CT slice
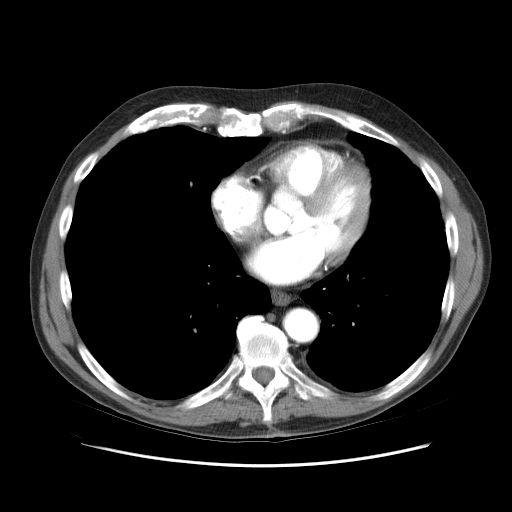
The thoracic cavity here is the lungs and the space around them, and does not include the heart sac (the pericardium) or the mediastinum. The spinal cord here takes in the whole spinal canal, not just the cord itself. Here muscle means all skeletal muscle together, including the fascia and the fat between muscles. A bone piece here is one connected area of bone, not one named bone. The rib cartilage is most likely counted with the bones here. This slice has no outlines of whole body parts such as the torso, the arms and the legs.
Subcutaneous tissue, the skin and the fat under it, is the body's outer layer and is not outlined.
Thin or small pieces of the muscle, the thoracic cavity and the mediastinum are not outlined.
{"pericardium":[[[299,137],[337,139],[344,141],[359,150],[370,171],[371,202],[367,225],[362,235],[352,247],[345,261],[339,267],[309,286],[288,289],[267,284],[244,270],[236,250],[224,232],[216,224],[211,208],[211,194],[222,178],[231,174],[271,146],[281,140]]],"mediastinum":[[[265,284],[288,290],[309,287],[304,289],[301,292],[300,296],[321,318],[319,332],[317,336],[312,342],[305,356],[296,366],[292,358],[292,354],[288,349],[290,344],[286,335],[279,327],[266,321],[263,316],[263,314],[268,312],[272,307],[270,292]],[[320,120],[330,120],[349,130],[350,131],[347,135],[347,140],[351,144],[337,138],[326,138],[317,136],[290,137],[279,140],[255,156],[268,142],[268,139],[266,137],[259,136],[261,136],[265,132],[279,133],[284,130],[290,129],[298,122],[315,122]]],"bones":[{"outer":[[250,314],[262,315],[266,322],[279,328],[287,339],[295,366],[336,394],[304,400],[289,388],[283,389],[272,402],[269,422],[262,420],[263,409],[255,396],[235,385],[234,399],[220,396],[196,407],[177,407],[226,370],[238,351],[237,325]],"hole":[[263,366],[264,367],[268,367],[269,368],[270,368],[271,369],[272,369],[272,370],[273,371],[273,376],[272,377],[272,378],[266,384],[262,384],[261,383],[260,383],[258,381],[257,381],[253,377],[253,371],[256,368],[258,368],[259,367],[262,367]]},[[288,102],[352,114],[391,135],[399,143],[398,147],[317,115],[308,115],[279,132],[265,131],[258,136],[221,136],[213,125],[197,127],[189,123],[161,126],[125,138],[122,135],[127,125],[138,116],[166,104],[206,103],[215,110],[227,106],[247,114]],[[427,348],[431,350],[431,355],[428,362],[423,368],[423,369],[407,385],[406,385],[402,389],[388,398],[386,398],[385,399],[379,399],[378,400],[372,400],[369,398],[370,396],[379,391],[386,384],[393,380],[396,377],[401,374],[406,369],[407,369]],[[80,342],[83,343],[85,345],[87,349],[97,361],[97,362],[118,383],[119,383],[124,388],[124,389],[137,401],[137,402],[130,401],[118,395],[109,388],[108,388],[91,372],[91,371],[87,367],[83,361],[81,356],[78,352],[77,345],[78,343]],[[449,211],[452,212],[455,217],[455,220],[457,225],[457,234],[458,235],[458,247],[457,248],[457,252],[456,254],[453,256],[450,255],[450,253],[448,249],[448,246],[447,245],[447,237],[445,232],[445,224],[444,223],[445,216],[447,212]],[[449,275],[452,276],[454,281],[454,297],[453,298],[453,303],[451,307],[451,311],[450,312],[449,317],[448,319],[445,321],[442,319],[441,317],[441,306],[442,305],[442,301],[443,300],[443,296],[444,295],[444,291],[445,290],[446,283]],[[420,157],[421,158],[423,158],[430,165],[430,166],[436,173],[440,181],[440,183],[441,184],[441,188],[442,189],[442,195],[440,197],[438,197],[438,196],[434,191],[433,188],[430,185],[430,184],[426,179],[421,169],[419,167],[419,158]],[[94,151],[96,151],[98,153],[98,160],[93,166],[93,167],[90,170],[90,171],[86,175],[86,176],[79,183],[75,183],[74,182],[74,176],[75,175],[75,173],[76,172],[78,167],[83,161],[83,160],[90,153],[91,153]],[[62,270],[66,270],[67,272],[67,274],[68,275],[69,282],[70,283],[70,287],[71,288],[71,308],[70,310],[68,310],[66,308],[66,307],[63,303],[63,301],[61,297],[61,293],[60,292],[60,288],[59,287],[59,277],[60,276],[60,273]],[[68,204],[70,204],[73,206],[73,213],[72,214],[71,223],[70,224],[69,229],[67,232],[67,235],[66,236],[66,238],[64,241],[61,239],[60,235],[59,234],[59,219],[60,218],[60,216],[61,215],[61,213],[63,209],[65,207],[65,206]]],"spinal_cord":[[[263,366],[264,367],[268,367],[269,368],[270,368],[271,369],[272,369],[272,370],[273,371],[273,376],[272,377],[272,378],[266,384],[262,384],[261,383],[260,383],[258,381],[257,381],[253,377],[253,371],[256,368],[258,368],[259,367],[262,367]]],"thoracic_cavity":[[[178,124],[217,137],[267,139],[254,156],[221,178],[210,194],[210,208],[216,227],[226,236],[244,272],[267,287],[271,307],[238,321],[237,351],[215,380],[186,397],[155,399],[124,387],[84,343],[72,313],[65,241],[80,183],[97,162],[130,136]],[[351,131],[398,148],[420,169],[437,196],[449,253],[440,318],[429,344],[393,379],[383,386],[362,391],[346,391],[328,382],[321,383],[297,366],[318,336],[322,322],[320,315],[301,294],[346,261],[363,235],[370,217],[371,171],[362,152],[348,140]]],"muscle":[[[347,112],[370,120],[431,157],[452,180],[475,221],[481,241],[483,275],[479,291],[441,355],[420,380],[384,404],[355,415],[301,416],[269,426],[241,426],[235,422],[179,425],[130,410],[92,387],[54,353],[39,319],[41,265],[63,185],[71,171],[87,155],[73,176],[73,182],[79,184],[74,205],[66,204],[58,219],[66,268],[59,273],[58,287],[62,303],[68,311],[71,309],[83,342],[76,345],[78,354],[90,372],[112,392],[133,403],[138,401],[125,388],[155,400],[185,398],[176,407],[192,409],[220,397],[226,401],[236,399],[235,386],[254,396],[262,409],[261,420],[269,423],[272,421],[273,402],[286,389],[306,401],[311,397],[334,397],[337,394],[324,383],[346,392],[382,387],[368,398],[378,401],[390,398],[407,386],[429,362],[432,350],[428,346],[440,319],[446,322],[452,311],[455,281],[449,274],[449,268],[450,256],[458,252],[458,225],[452,211],[447,211],[444,219],[442,217],[438,198],[443,195],[442,184],[431,165],[420,156],[418,166],[399,148],[400,143],[391,134]],[[126,124],[127,124],[123,129],[122,133],[121,134],[123,139],[122,139],[119,142],[118,142],[115,145],[114,145],[104,155],[103,155],[99,159],[99,153],[96,150],[94,150],[95,150],[99,146],[103,144],[114,132],[115,132],[118,129],[119,129]]]}